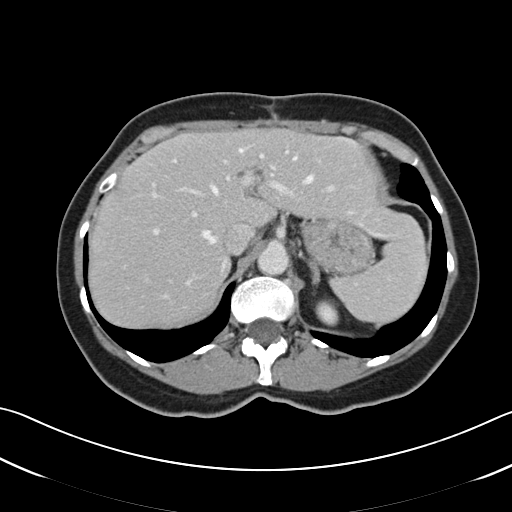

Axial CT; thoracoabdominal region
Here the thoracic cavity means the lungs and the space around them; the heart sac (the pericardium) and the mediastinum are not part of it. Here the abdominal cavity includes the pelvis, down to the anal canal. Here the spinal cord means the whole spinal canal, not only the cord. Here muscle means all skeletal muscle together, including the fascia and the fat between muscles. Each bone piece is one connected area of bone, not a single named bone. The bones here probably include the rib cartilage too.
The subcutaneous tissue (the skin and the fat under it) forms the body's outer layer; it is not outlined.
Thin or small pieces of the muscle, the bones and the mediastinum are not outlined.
{"spinal_cord":[[[260,318],[268,318],[269,319],[271,319],[279,323],[279,325],[280,326],[280,334],[277,337],[277,339],[275,341],[273,341],[269,343],[267,345],[263,345],[258,342],[256,342],[254,340],[254,339],[248,334],[248,325],[255,320],[257,319],[259,319]]],"torso":[[[217,91],[265,95],[331,92],[365,97],[403,113],[426,138],[470,220],[479,290],[463,335],[433,373],[407,395],[329,415],[256,397],[217,417],[173,417],[120,396],[86,361],[64,321],[57,295],[57,239],[65,210],[86,174],[133,116],[163,101]]],"abdominal_cavity":[[[260,126],[347,134],[401,162],[397,191],[421,206],[432,224],[427,277],[411,309],[370,339],[309,331],[296,308],[288,252],[277,238],[259,249],[236,285],[225,288],[215,311],[197,323],[163,330],[107,321],[88,285],[87,232],[122,165],[180,132]]],"muscle":[{"outer":[[274,116],[302,120],[327,119],[358,122],[385,131],[409,146],[423,161],[443,200],[449,216],[457,254],[457,279],[450,292],[444,314],[428,343],[403,361],[328,391],[297,391],[271,385],[271,367],[279,356],[287,352],[289,346],[288,340],[281,333],[281,326],[296,309],[301,323],[311,335],[309,341],[313,345],[324,349],[331,347],[350,355],[367,358],[364,365],[368,368],[375,367],[385,363],[391,354],[415,338],[424,338],[431,332],[438,319],[437,310],[447,274],[452,273],[455,269],[453,255],[447,249],[441,218],[444,209],[439,199],[429,190],[416,167],[420,162],[419,157],[379,132],[371,129],[361,130],[358,134],[363,139],[360,139],[348,134],[353,134],[358,130],[354,125],[343,126],[341,130],[344,133],[303,131],[285,125],[260,125],[180,131],[158,139],[130,155],[118,170],[112,171],[100,182],[97,191],[101,194],[91,217],[80,225],[78,231],[78,236],[83,241],[83,283],[79,287],[78,295],[74,277],[75,232],[95,185],[121,151],[142,131],[155,125],[178,121],[266,119]],"hole":[[144,135],[145,135],[146,136],[147,136],[148,136],[149,136],[149,137],[149,138],[148,139],[147,140],[147,141],[146,141],[145,142],[144,142],[143,142],[142,142],[141,141],[141,140],[141,139],[141,138],[142,137],[142,136],[143,136]]},[[84,312],[94,316],[132,360],[147,368],[152,363],[170,362],[188,355],[197,356],[215,348],[217,344],[213,341],[226,327],[231,315],[245,333],[239,345],[241,353],[253,357],[258,363],[257,383],[206,395],[173,387],[142,373],[107,351],[96,338]]],"mediastinum":[[[277,239],[282,243],[287,252],[288,268],[292,272],[293,286],[290,288],[281,279],[270,275],[257,275],[256,276],[252,276],[241,281],[237,284],[238,283],[236,281],[243,275],[243,273],[252,262],[253,259],[260,249],[265,244]]],"bones":[[[257,276],[281,280],[291,289],[296,303],[293,313],[281,325],[268,317],[247,325],[247,334],[263,346],[275,342],[281,334],[287,340],[286,352],[270,367],[270,385],[256,381],[259,363],[242,353],[240,345],[246,333],[231,314],[231,296],[236,286]],[[364,130],[371,130],[377,133],[379,133],[391,141],[407,149],[411,154],[414,156],[417,156],[418,157],[419,159],[418,164],[416,166],[413,166],[408,163],[402,162],[392,155],[392,154],[386,149],[382,148],[366,139],[364,139],[359,134],[361,131]],[[114,171],[117,171],[117,177],[116,178],[116,180],[115,181],[115,183],[113,185],[113,186],[111,188],[110,188],[107,191],[106,191],[103,193],[100,193],[98,191],[98,188],[99,187],[101,182],[108,175],[109,175],[112,172],[113,172]],[[82,284],[83,284],[85,287],[85,290],[86,291],[86,295],[87,296],[87,300],[88,301],[88,303],[89,304],[90,309],[93,315],[90,315],[86,313],[84,311],[82,307],[82,305],[80,302],[80,299],[79,298],[79,291],[80,290],[80,287]],[[436,312],[437,312],[437,319],[436,320],[436,322],[435,323],[434,326],[432,328],[432,329],[430,331],[430,332],[424,337],[422,337],[421,338],[417,338],[417,336],[426,326],[426,325],[429,322],[429,321],[431,319],[431,318],[433,316],[433,315]],[[126,349],[127,350],[129,350],[131,352],[140,356],[142,358],[143,358],[150,362],[152,362],[151,363],[151,365],[149,367],[147,367],[146,366],[144,366],[143,365],[136,362],[133,359],[132,359],[126,353],[126,352],[125,351],[125,350]]],"thoracic_cavity":[[[402,163],[415,167],[419,172],[440,216],[446,244],[446,279],[436,311],[416,337],[392,353],[372,357],[357,356],[330,346],[310,332],[317,331],[352,340],[370,340],[383,327],[405,316],[419,299],[431,263],[433,224],[421,205],[399,193]],[[86,235],[87,285],[90,297],[97,312],[110,324],[128,330],[163,331],[197,324],[216,311],[226,288],[231,283],[235,286],[230,296],[230,315],[227,324],[212,341],[187,355],[170,361],[153,362],[123,347],[99,323],[88,300],[83,279],[83,243]]]}